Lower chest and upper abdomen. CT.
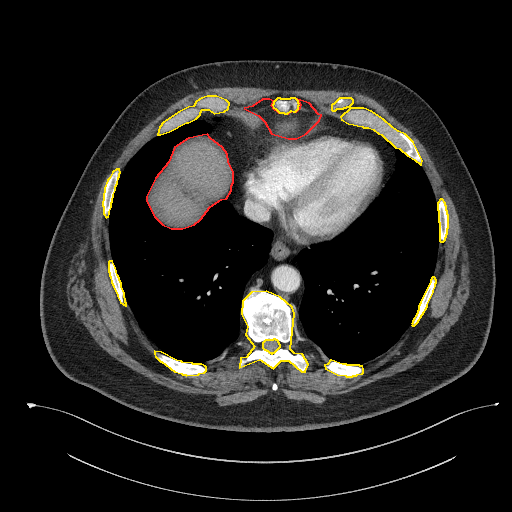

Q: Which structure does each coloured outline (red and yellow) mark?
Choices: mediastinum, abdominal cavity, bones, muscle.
A: red: abdominal cavity; yellow: bones.
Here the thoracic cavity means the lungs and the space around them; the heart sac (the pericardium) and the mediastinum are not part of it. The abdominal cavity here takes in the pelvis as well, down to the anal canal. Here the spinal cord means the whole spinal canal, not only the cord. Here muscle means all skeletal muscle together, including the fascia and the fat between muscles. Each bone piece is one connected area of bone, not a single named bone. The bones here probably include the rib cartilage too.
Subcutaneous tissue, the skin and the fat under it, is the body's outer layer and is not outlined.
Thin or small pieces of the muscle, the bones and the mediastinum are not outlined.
abdominal cavity 1: 171,228 182,228 194,224 200,219 210,206 221,199 226,198 231,190 231,185 233,182 233,172 228,161 227,154 222,147 210,138 207,134 188,138 174,147 168,162 155,178 146,196 146,201 154,216 162,224
abdominal cavity 2: 288,138 296,138 306,133 319,120 321,115 318,114 309,103 297,99 300,104 299,108 295,112 291,111 287,114 279,113 274,109 271,105 273,101 269,99 262,99 252,106 244,108 258,115 264,121 271,133
bones 1: 301,371 305,371 308,364 302,354 294,353 290,349 294,313 292,307 280,297 266,291 251,292 242,301 241,314 247,326 245,334 254,346 246,357 240,358 239,367 259,359 273,368 281,360 288,360 with a hole at 271,353 272,353 273,352 274,352 280,346 280,345 279,344 279,343 278,342 278,341 277,340 276,340 275,339 273,339 272,340 265,340 262,343 262,347 264,349 265,349 266,350 267,350 269,352 270,352
bones 2: 420,164 421,164 422,160 413,142 405,134 398,131 392,127 383,119 371,111 363,108 350,108 340,117 341,119 348,123 362,126 363,127 368,127 373,129 378,133 381,134 395,147 399,148 407,155 414,159
bones 3: 157,134 160,134 169,131 186,122 188,122 196,118 200,114 200,112 202,109 208,109 214,113 224,111 228,108 229,103 226,100 216,96 207,96 201,98 196,101 193,106 188,107 178,112 163,122 159,127
bones 4: 186,375 198,374 199,373 204,372 206,370 206,367 205,366 201,364 193,364 192,363 182,362 181,361 176,360 161,352 154,351 154,354 155,356 160,361 161,361 174,371 181,373 182,374 185,374
bones 5: 106,217 108,216 109,214 109,211 111,207 111,202 112,201 113,194 115,190 115,186 117,183 118,177 119,176 119,173 120,172 119,169 116,169 112,172 109,178 107,180 104,188 102,205 103,206 103,213
bones 6: 346,376 352,376 353,375 356,375 357,374 362,373 363,372 363,368 362,366 360,366 359,365 347,365 346,364 342,364 331,360 330,360 327,364 324,365 325,368 337,374 345,375
bones 7: 440,241 443,241 445,239 445,237 446,236 446,234 447,233 447,228 448,227 448,215 447,214 447,211 446,210 446,206 445,205 445,203 442,199 440,199 437,203 437,209 438,210 438,221 439,222 439,240
bones 8: 412,325 414,325 417,322 427,306 427,304 433,292 433,290 435,286 435,283 436,282 436,280 434,277 432,277 430,280 430,282 420,301 420,303 418,306 418,310 417,311 417,313 412,321 412,323 411,324
bones 9: 125,305 126,305 126,303 125,302 124,293 121,286 121,283 119,280 119,278 117,275 115,267 112,261 109,261 108,262 108,271 109,272 109,275 110,276 111,282 113,285 113,287 117,294 117,296 120,302
bones 10: 284,113 287,113 291,110 293,111 295,111 298,108 298,105 299,104 298,103 298,101 295,98 290,98 289,99 281,99 280,98 277,98 273,102 273,104 272,105 273,107 275,108 279,112 283,112
bones 11: 332,110 335,110 337,108 343,108 344,107 346,107 347,106 349,106 353,102 353,100 351,98 339,98 333,104 332,104 331,105 331,109
spinal cord: 271,353 272,353 273,352 274,352 280,346 280,345 279,344 279,343 278,342 278,341 277,340 276,340 275,339 273,339 272,340 265,340 262,343 262,347 264,349 265,349 266,350 267,350 269,352 270,352
mediastinum: 294,328 304,290 296,256 310,246 294,245 271,209 243,197 242,171 278,146 333,135 379,148 384,186 393,146 326,115 296,139 271,134 245,109 200,115 228,154 236,211 274,233 243,298 255,289 280,296
muscle: 220,406 251,401 267,393 275,393 276,394 281,393 290,399 306,400 313,403 321,403 325,401 331,395 345,393 357,389 381,378 391,376 397,372 403,371 413,366 422,360 437,345 445,334 457,321 462,311 463,306 469,295 470,273 469,272 469,262 467,255 467,249 465,245 464,237 461,231 459,218 453,201 443,186 443,181 441,176 434,165 433,161 424,145 409,128 406,127 394,117 384,106 368,95 355,91 349,91 348,90 342,91 336,89 321,89 320,90 315,89 271,89 261,87 241,87 240,86 208,88 187,94 172,103 165,110 148,122 130,139 124,147 120,155 111,166 110,170 100,185 100,188 97,194 92,211 91,226 89,232 86,238 80,244 74,253 71,259 70,266 67,273 66,295 67,296 67,303 69,307 75,316 85,326 94,340 106,352 126,366 154,382 164,386 191,394 213,395 214,400, around holes outlined by 346,376 362,373 365,362 417,322 435,286 448,215 444,201 435,200 415,145 363,108 338,119 295,98 262,99 231,112 222,98 199,99 163,122 106,182 108,271 120,302 128,303 161,351 155,356 182,374 204,372 206,361 233,345 242,316 254,346 240,358 240,368 256,359 271,368 288,360 305,371 305,357 290,349 297,325 330,359 325,368 and by 332,110 335,110 337,108 343,108 344,107 346,107 347,106 349,106 353,102 353,100 351,98 339,98 333,104 332,104 331,105 331,109
thoracic cavity 1: 202,364 237,340 245,283 266,263 273,233 240,216 228,198 210,207 197,223 187,228 167,228 153,216 145,196 173,147 212,129 206,121 195,119 154,136 128,162 116,186 109,237 126,300 142,329 162,352
thoracic cavity 2: 360,365 391,347 411,323 419,301 432,276 439,242 437,202 424,170 414,160 394,147 396,169 366,211 334,239 313,244 308,249 305,248 300,251 297,256 297,264 305,283 297,325 305,336 330,359
pericardium: 298,246 307,246 334,238 357,219 377,197 383,188 385,169 381,153 373,144 364,140 354,141 333,136 321,136 314,140 303,140 278,147 243,171 240,188 244,197 253,197 271,208 274,211 276,224 280,230
torso: 239,432 320,429 391,411 463,375 485,347 493,315 495,261 484,206 437,113 414,90 386,74 341,63 267,59 208,62 170,73 142,90 116,118 86,164 55,228 42,270 39,306 44,342 58,369 142,413